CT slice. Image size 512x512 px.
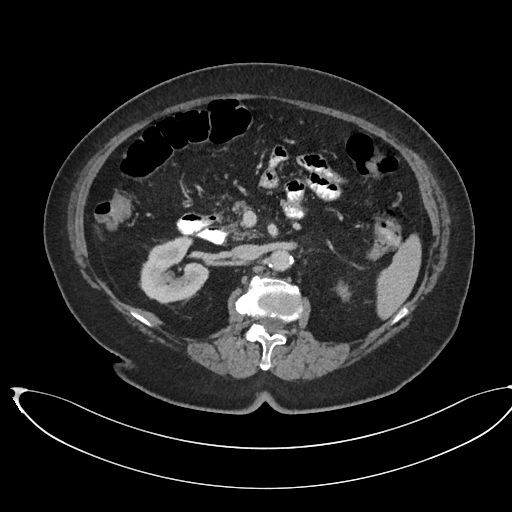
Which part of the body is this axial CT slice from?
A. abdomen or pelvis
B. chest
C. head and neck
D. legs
A. abdomen or pelvis
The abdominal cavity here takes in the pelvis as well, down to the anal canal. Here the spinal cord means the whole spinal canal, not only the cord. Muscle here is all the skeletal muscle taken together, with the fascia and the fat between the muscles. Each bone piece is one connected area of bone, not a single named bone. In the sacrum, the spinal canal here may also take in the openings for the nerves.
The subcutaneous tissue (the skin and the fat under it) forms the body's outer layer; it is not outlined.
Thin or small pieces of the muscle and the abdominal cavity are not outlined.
The spinal cord is outlined by [[262,317],[269,317],[270,318],[277,318],[278,319],[280,319],[283,322],[283,323],[284,324],[284,327],[278,332],[276,332],[275,333],[273,333],[272,334],[270,334],[266,330],[266,329],[264,327],[264,326],[263,325],[262,325],[259,322],[259,319]]. The muscle is outlined by [[223,93],[250,93],[251,94],[263,94],[264,95],[272,94],[286,98],[301,100],[311,103],[315,103],[319,105],[323,105],[327,107],[331,107],[341,111],[344,111],[353,114],[356,116],[359,116],[389,132],[405,145],[420,155],[429,167],[437,182],[441,187],[441,189],[445,197],[448,211],[450,215],[451,238],[450,239],[450,244],[449,245],[449,250],[448,251],[446,265],[430,298],[411,323],[395,337],[368,355],[361,358],[352,364],[334,370],[319,378],[308,379],[307,380],[301,380],[299,379],[295,381],[286,381],[277,377],[268,371],[259,371],[247,378],[236,378],[229,375],[219,375],[216,374],[196,363],[194,363],[173,352],[171,352],[152,342],[130,324],[106,300],[92,289],[80,276],[73,257],[71,254],[71,249],[69,244],[68,232],[67,231],[67,210],[68,209],[69,199],[71,192],[74,188],[76,180],[78,178],[81,171],[94,153],[107,141],[120,131],[135,122],[137,122],[149,116],[154,112],[159,111],[169,106],[191,99],[194,99],[203,96],[213,95],[214,94],[222,94]] with holes at [[217,98],[277,100],[329,115],[401,154],[431,225],[406,315],[359,339],[320,341],[302,296],[286,342],[262,370],[262,345],[244,337],[254,319],[234,304],[243,288],[227,298],[225,326],[184,336],[121,300],[96,273],[84,208],[107,158],[152,121]] and at [[130,307],[133,307],[140,314],[143,315],[146,318],[147,318],[153,324],[153,326],[152,326],[151,327],[150,327],[149,326],[147,326],[145,324],[144,324],[142,322],[141,322],[139,320],[136,319],[133,316],[132,316],[129,312],[129,308]]. The bones appear in 3 outlined pieces: piece 1: [[255,275],[279,278],[297,286],[303,307],[299,317],[285,325],[286,342],[273,347],[270,356],[271,366],[267,370],[262,370],[259,366],[262,345],[258,341],[249,341],[244,337],[254,319],[247,314],[239,313],[234,304],[236,299],[247,290],[250,279]]; inner edge: [[262,317],[269,317],[270,318],[277,318],[278,319],[280,319],[283,322],[283,323],[284,324],[284,327],[278,332],[276,332],[275,333],[273,333],[272,334],[270,334],[266,330],[266,329],[264,327],[264,326],[263,325],[262,325],[259,322],[259,319]]; piece 2: [[130,307],[133,307],[140,314],[143,315],[146,318],[147,318],[153,324],[153,326],[152,326],[151,327],[150,327],[149,326],[147,326],[145,324],[144,324],[142,322],[141,322],[139,320],[136,319],[133,316],[132,316],[129,312],[129,308]]; piece 3: [[404,305],[406,305],[406,306],[408,308],[408,310],[409,311],[408,312],[408,313],[406,315],[405,315],[402,318],[401,318],[396,323],[395,323],[394,324],[393,324],[392,325],[391,325],[390,324],[390,321],[394,317],[394,316],[399,311],[399,310]]. The torso is outlined by [[250,61],[322,70],[389,99],[434,138],[465,185],[475,244],[459,323],[431,363],[391,394],[296,414],[266,402],[242,414],[172,404],[117,375],[112,364],[120,359],[83,329],[57,286],[44,246],[44,210],[53,179],[78,141],[157,83],[207,66]]. The abdominal cavity is outlined by [[217,98],[277,100],[353,123],[391,145],[409,165],[431,225],[425,271],[415,293],[365,336],[316,339],[307,324],[311,305],[299,287],[258,274],[244,292],[238,286],[229,294],[225,326],[184,336],[121,300],[92,267],[84,208],[107,158],[152,121]].